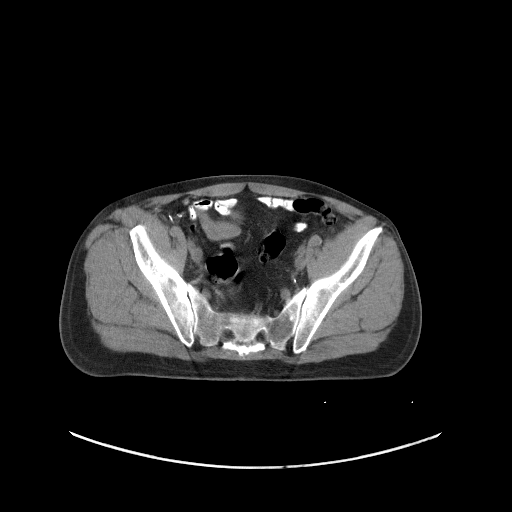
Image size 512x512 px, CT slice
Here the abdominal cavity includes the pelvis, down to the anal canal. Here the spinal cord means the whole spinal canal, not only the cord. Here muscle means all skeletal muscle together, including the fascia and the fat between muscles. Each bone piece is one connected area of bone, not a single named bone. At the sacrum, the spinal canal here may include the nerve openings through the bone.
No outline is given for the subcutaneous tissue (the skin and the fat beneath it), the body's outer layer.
{"bones":[{"outer":[[137,224],[145,227],[160,256],[215,311],[270,316],[303,287],[337,270],[368,230],[379,225],[383,229],[362,271],[335,299],[304,351],[294,353],[289,343],[283,350],[267,344],[241,356],[220,342],[182,343],[135,260],[129,230]],"holes":[[[260,332],[261,332],[262,332],[263,333],[264,334],[264,335],[264,336],[264,337],[264,338],[264,339],[263,340],[262,340],[261,340],[260,340],[259,340],[258,340],[257,339],[257,338],[257,337],[257,336],[258,335],[258,334],[259,333]],[[229,331],[230,331],[231,332],[231,333],[232,334],[233,335],[234,336],[234,337],[233,338],[232,339],[231,339],[230,339],[229,338],[228,338],[227,337],[226,336],[225,335],[225,334],[225,333],[226,332],[227,332],[228,332]]]}],"spinal_cord":[[[260,332],[261,332],[262,332],[263,333],[264,334],[264,335],[264,336],[264,337],[264,338],[264,339],[263,340],[262,340],[261,340],[260,340],[259,340],[258,340],[257,339],[257,338],[257,337],[257,336],[258,335],[258,334],[259,333]],[[229,331],[230,331],[231,332],[231,333],[232,334],[233,335],[234,336],[234,337],[233,338],[232,339],[231,339],[230,339],[229,338],[228,338],[227,337],[226,336],[225,335],[225,334],[225,333],[226,332],[227,332],[228,332]],[[237,342],[252,342],[250,344],[248,344],[247,345],[246,344],[245,344],[244,343],[241,343],[240,344],[239,343],[237,343]]],"abdominal_cavity":[[[246,187],[262,195],[316,196],[351,220],[333,235],[324,237],[314,233],[308,238],[305,262],[309,284],[288,297],[275,315],[215,310],[206,296],[182,276],[187,256],[186,237],[182,227],[177,224],[166,225],[157,214],[160,207],[182,196],[228,196]]],"muscle":[{"outer":[[230,182],[258,182],[327,195],[352,205],[387,224],[403,263],[404,293],[394,326],[387,338],[375,350],[319,362],[297,364],[279,359],[184,360],[138,351],[113,351],[102,345],[89,323],[85,297],[83,246],[89,233],[117,208],[136,204],[150,197]],"hole":[[246,187],[262,195],[316,196],[351,220],[333,235],[308,238],[310,284],[337,270],[368,230],[383,229],[362,271],[299,353],[289,343],[241,356],[220,342],[186,346],[135,260],[129,230],[142,224],[181,276],[185,234],[157,211],[182,196],[228,196]]}],"torso":[[[219,174],[279,174],[309,179],[365,203],[394,223],[412,263],[422,305],[419,341],[412,357],[400,371],[389,377],[373,379],[215,381],[133,375],[95,377],[81,372],[68,360],[59,337],[59,306],[71,252],[90,220],[109,203],[134,192],[169,182]]]}